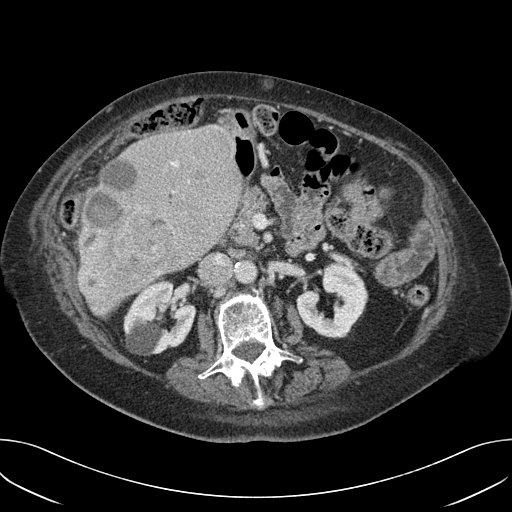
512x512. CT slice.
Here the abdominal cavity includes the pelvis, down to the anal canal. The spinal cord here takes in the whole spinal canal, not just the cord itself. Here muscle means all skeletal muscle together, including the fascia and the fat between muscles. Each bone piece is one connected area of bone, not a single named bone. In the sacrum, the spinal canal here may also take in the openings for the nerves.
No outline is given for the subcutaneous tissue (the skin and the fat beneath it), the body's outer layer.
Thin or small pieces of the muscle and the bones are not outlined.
{"spinal_cord":[[[242,342],[249,342],[250,343],[260,343],[261,344],[262,344],[264,346],[264,348],[262,350],[262,351],[251,362],[250,361],[248,361],[245,359],[243,359],[242,358],[240,358],[239,357],[236,356],[233,353],[233,350],[237,346],[238,346]]],"abdominal_cavity":[[[201,97],[298,110],[396,155],[418,174],[437,245],[437,290],[395,353],[352,367],[333,349],[304,340],[292,303],[247,292],[217,304],[214,318],[200,311],[199,351],[158,370],[120,351],[90,315],[58,219],[62,195],[88,158],[127,138],[137,122]]],"bones":[{"outer":[[247,293],[263,297],[269,304],[275,343],[303,358],[300,363],[283,360],[270,376],[258,377],[268,404],[262,409],[253,403],[257,390],[248,372],[238,386],[233,386],[219,371],[203,379],[197,376],[215,361],[218,352],[222,352],[215,323],[217,305]],"hole":[[242,342],[249,342],[250,343],[260,343],[261,344],[262,344],[264,346],[264,348],[262,350],[262,351],[251,362],[250,361],[248,361],[245,359],[243,359],[242,358],[240,358],[239,357],[236,356],[233,353],[233,350],[237,346],[238,346]]}],"torso":[[[205,70],[255,72],[317,86],[387,113],[429,143],[486,219],[508,270],[511,318],[493,351],[475,365],[452,371],[362,426],[295,442],[219,443],[183,436],[132,418],[67,379],[34,344],[3,290],[0,243],[9,214],[40,165],[102,107],[152,81]]],"muscle":[{"outer":[[203,92],[260,97],[272,99],[279,102],[292,103],[323,112],[356,128],[382,138],[388,138],[400,144],[403,146],[403,149],[419,162],[437,182],[443,198],[444,215],[447,218],[453,232],[453,239],[456,247],[458,263],[457,283],[453,288],[452,297],[447,310],[443,318],[438,323],[437,328],[433,330],[427,340],[410,355],[397,362],[372,371],[366,376],[360,377],[357,382],[348,383],[345,386],[334,390],[332,392],[332,396],[319,399],[311,404],[314,405],[312,407],[299,409],[297,412],[288,413],[275,411],[273,409],[275,408],[274,407],[270,407],[264,410],[231,412],[223,408],[212,409],[202,402],[194,401],[184,397],[171,388],[166,388],[162,382],[145,376],[137,371],[133,371],[105,357],[97,350],[89,339],[84,337],[78,331],[72,321],[59,308],[59,304],[55,298],[55,293],[52,289],[48,275],[44,269],[45,257],[39,247],[41,230],[38,221],[43,209],[47,192],[55,183],[58,175],[69,162],[79,157],[82,151],[88,146],[94,143],[121,121],[137,111],[150,107],[172,97]],"hole":[[201,97],[298,110],[418,174],[437,290],[395,353],[352,367],[308,344],[276,295],[272,336],[303,360],[258,377],[258,409],[248,372],[238,386],[197,376],[222,352],[210,311],[197,315],[199,351],[163,370],[120,351],[90,315],[62,195],[137,122]]}]}